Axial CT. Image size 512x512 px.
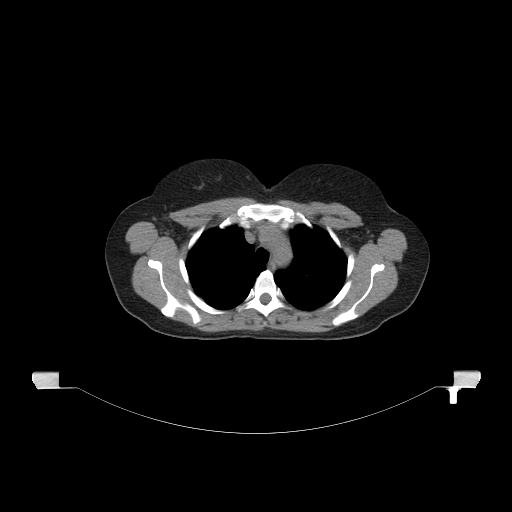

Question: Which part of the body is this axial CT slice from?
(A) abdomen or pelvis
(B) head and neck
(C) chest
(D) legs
Answer: (C) chest
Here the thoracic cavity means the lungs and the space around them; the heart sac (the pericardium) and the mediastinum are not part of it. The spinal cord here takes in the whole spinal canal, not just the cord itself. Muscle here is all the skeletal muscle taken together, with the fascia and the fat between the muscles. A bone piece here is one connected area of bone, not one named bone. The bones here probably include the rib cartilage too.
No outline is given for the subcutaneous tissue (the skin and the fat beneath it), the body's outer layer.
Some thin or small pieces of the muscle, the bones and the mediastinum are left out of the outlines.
muscle 1: [[278,199],[304,203],[338,202],[347,206],[361,217],[364,224],[348,228],[343,234],[356,250],[386,228],[402,231],[407,249],[393,292],[359,317],[357,306],[369,294],[375,274],[385,268],[382,262],[375,262],[370,266],[369,281],[364,292],[350,307],[331,319],[335,327],[327,331],[302,332],[265,328],[208,332],[170,318],[181,309],[190,316],[195,325],[202,319],[198,309],[212,315],[222,315],[226,310],[234,308],[239,313],[254,309],[266,318],[276,309],[289,309],[286,301],[303,311],[312,311],[322,306],[326,311],[345,297],[352,285],[349,278],[355,264],[354,254],[350,252],[346,256],[338,235],[330,226],[327,225],[325,229],[314,225],[299,210],[267,202]]
muscle 2: [[239,196],[258,201],[242,204],[215,227],[205,230],[206,226],[201,225],[188,240],[185,261],[181,256],[178,258],[179,272],[188,286],[186,293],[193,304],[181,302],[167,288],[163,264],[158,259],[149,258],[146,263],[158,274],[160,286],[166,296],[164,304],[159,310],[133,290],[131,274],[135,262],[124,240],[130,225],[138,221],[150,221],[169,233],[179,244],[186,237],[186,230],[166,218],[169,212],[202,202]]
bones 1: [[257,202],[274,203],[299,211],[313,225],[310,228],[303,223],[293,223],[287,228],[282,228],[277,222],[274,223],[267,219],[262,219],[252,222],[249,227],[242,227],[235,223],[224,228],[219,228],[218,225],[228,216],[234,214],[239,207]]
bones 2: [[181,257],[194,293],[208,305],[225,310],[225,313],[212,314],[198,308],[201,319],[195,324],[181,308],[171,317],[161,313],[160,308],[167,296],[158,272],[147,262],[149,259],[160,261],[166,288],[181,303],[193,305],[187,293],[189,286],[180,272]]
bones 3: [[265,269],[268,269],[273,274],[274,282],[280,289],[285,298],[285,302],[289,308],[282,308],[281,307],[276,308],[271,311],[266,317],[254,308],[248,308],[241,312],[237,311],[235,309],[235,307],[240,304],[248,295],[251,288],[254,285],[256,278]] with a hole at [[264,293],[266,293],[267,294],[268,294],[270,296],[270,300],[266,304],[263,304],[263,303],[262,302],[261,302],[261,301],[260,300],[260,297],[261,296],[261,295],[262,294],[263,294]]
bones 4: [[375,263],[382,263],[384,265],[384,268],[374,274],[372,286],[368,294],[356,306],[355,311],[359,315],[358,317],[352,320],[344,322],[340,325],[337,326],[334,325],[332,323],[332,319],[339,313],[350,308],[365,292],[370,281],[370,269],[371,266]]
bones 5: [[350,253],[352,253],[354,257],[354,264],[353,265],[353,268],[348,278],[351,280],[351,285],[344,297],[335,306],[332,308],[324,310],[323,309],[323,306],[330,301],[338,293],[343,286],[345,281],[347,279],[346,278],[346,272],[347,271],[347,256]]
bones 6: [[203,225],[205,226],[205,228],[203,232],[200,235],[200,236],[197,239],[197,240],[191,247],[191,248],[190,249],[188,249],[187,248],[187,246],[188,245],[188,243],[189,242],[189,240],[191,236],[195,231],[196,231],[201,226]]
bones 7: [[327,226],[330,227],[330,228],[337,235],[337,236],[338,237],[338,238],[339,239],[339,240],[341,243],[341,245],[342,246],[341,247],[341,248],[340,248],[335,243],[335,242],[332,239],[332,238],[330,236],[330,235],[326,230],[326,227]]
spinal cord: [[264,293],[266,293],[267,294],[268,294],[270,296],[270,300],[266,304],[263,304],[263,303],[262,302],[261,302],[261,301],[260,300],[260,297],[261,296],[261,295],[262,294],[263,294]]
torso: [[206,156],[235,159],[268,187],[311,162],[345,164],[367,174],[379,185],[387,203],[408,217],[428,243],[429,267],[414,302],[367,334],[336,340],[200,340],[173,337],[147,327],[124,310],[114,293],[104,259],[107,234],[119,213],[147,196],[168,171]]
thoracic cavity 1: [[235,224],[242,229],[245,241],[253,246],[253,255],[255,259],[264,262],[265,268],[257,275],[247,295],[240,303],[233,308],[219,309],[208,304],[193,290],[186,267],[186,259],[189,250],[196,243],[204,231],[216,227],[218,227],[219,229],[224,229]]
thoracic cavity 2: [[298,224],[303,224],[310,229],[313,226],[317,226],[324,229],[334,243],[342,250],[346,257],[345,280],[342,286],[330,300],[323,305],[312,310],[303,310],[289,303],[274,279],[274,274],[277,271],[285,270],[292,264],[295,254],[290,238],[290,232]]
mediastinum: [[262,220],[267,220],[274,224],[277,223],[282,229],[287,229],[295,224],[289,232],[289,238],[294,254],[291,264],[287,268],[279,269],[274,273],[266,268],[264,261],[256,259],[254,255],[254,246],[246,241],[244,237],[242,228],[249,228],[252,223]]